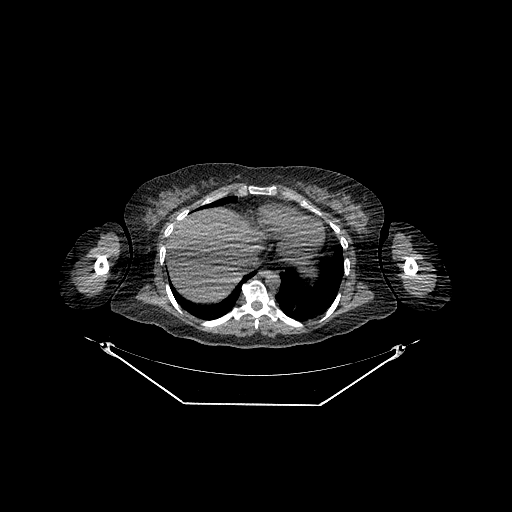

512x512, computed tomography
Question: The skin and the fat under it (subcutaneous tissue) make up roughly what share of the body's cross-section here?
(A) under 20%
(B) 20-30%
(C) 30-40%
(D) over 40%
Answer: (D) over 40%
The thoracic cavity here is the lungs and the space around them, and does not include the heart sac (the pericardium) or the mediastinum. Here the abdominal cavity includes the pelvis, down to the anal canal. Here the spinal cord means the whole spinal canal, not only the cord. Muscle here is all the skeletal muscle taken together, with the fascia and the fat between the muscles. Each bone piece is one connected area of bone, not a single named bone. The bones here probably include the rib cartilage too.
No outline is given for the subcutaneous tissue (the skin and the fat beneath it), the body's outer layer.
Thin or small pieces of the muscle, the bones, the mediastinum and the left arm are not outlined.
{"abdominal_cavity":[[[227,204],[245,215],[255,218],[275,247],[267,253],[256,270],[253,269],[244,274],[232,291],[220,301],[208,304],[190,301],[177,291],[169,279],[168,281],[164,265],[167,238],[172,233],[177,222],[185,218],[195,208],[203,209]],[[317,255],[319,256],[320,259],[319,262],[317,264],[317,268],[319,271],[319,277],[316,281],[311,285],[310,284],[304,283],[302,279],[298,275],[296,270],[292,266],[288,265],[282,260],[282,256],[294,257],[298,259],[304,259],[305,258],[313,257]]],"thoracic_cavity":[[[339,244],[343,250],[343,276],[338,291],[330,305],[323,314],[304,321],[298,320],[287,315],[279,307],[274,296],[279,290],[281,282],[279,275],[280,272],[285,267],[292,267],[303,283],[311,286],[320,277],[320,271],[318,268],[320,260],[330,256]],[[253,270],[255,270],[256,273],[251,278],[243,282],[240,286],[240,295],[237,304],[234,305],[229,311],[213,319],[201,319],[183,309],[177,301],[169,283],[169,280],[176,291],[184,299],[190,302],[202,305],[216,304],[227,297],[233,291],[244,275]],[[229,195],[234,195],[237,197],[236,201],[233,203],[227,203],[226,204],[223,204],[222,205],[216,205],[215,206],[212,206],[211,207],[204,207],[203,208],[200,208],[198,207],[202,206],[203,205],[209,204],[214,201],[216,201],[221,198],[223,198]]],"left_arm":[[[393,220],[407,222],[419,229],[430,241],[439,247],[442,253],[442,260],[449,275],[453,291],[451,299],[437,309],[421,311],[409,307],[396,297],[388,284],[389,281],[386,278],[385,279],[381,266],[383,264],[381,252],[383,243],[388,234],[390,223]]],"torso":[[[205,162],[232,162],[254,167],[315,166],[345,174],[369,188],[384,210],[377,255],[384,279],[396,298],[396,310],[344,334],[280,348],[207,345],[176,337],[156,325],[113,312],[109,300],[127,276],[133,254],[123,217],[125,204],[142,183],[155,176]]],"spinal_cord":[[[255,301],[258,301],[259,302],[260,302],[261,303],[261,307],[259,309],[257,309],[256,310],[255,309],[254,309],[252,307],[252,303],[253,302],[254,302]]],"bones":[{"outer":[[253,278],[260,280],[278,307],[287,316],[302,322],[303,327],[292,328],[280,319],[272,321],[263,314],[258,319],[256,329],[254,318],[249,313],[243,314],[238,320],[231,317],[210,330],[200,324],[202,320],[213,320],[229,312],[238,304],[242,284]],"hole":[[255,301],[258,301],[259,302],[260,302],[261,303],[261,307],[259,309],[257,309],[256,310],[255,309],[254,309],[252,307],[252,303],[253,302],[254,302]]},[[241,184],[253,184],[258,186],[275,185],[279,190],[290,189],[296,193],[300,194],[310,204],[317,208],[322,213],[323,218],[306,208],[302,207],[297,202],[289,199],[284,199],[279,195],[247,194],[243,196],[237,196],[235,195],[235,192],[234,191]],[[99,256],[104,256],[105,257],[106,257],[106,258],[107,259],[107,260],[108,261],[108,264],[109,265],[109,270],[108,271],[108,272],[106,274],[103,274],[102,275],[96,275],[95,274],[95,272],[94,271],[94,262],[95,261],[95,260]],[[408,256],[412,256],[414,258],[415,258],[415,260],[416,261],[416,263],[417,264],[417,266],[418,267],[418,270],[416,272],[415,275],[414,275],[413,276],[411,276],[410,277],[408,275],[405,274],[405,272],[404,271],[404,262],[405,261],[406,258]],[[226,187],[228,187],[231,189],[231,191],[228,195],[226,195],[223,197],[221,197],[209,203],[200,205],[200,202],[202,200],[203,200],[206,196],[210,194],[215,193],[218,191],[221,191],[224,188]],[[185,209],[189,209],[190,210],[187,214],[187,215],[186,215],[185,217],[184,217],[179,221],[177,221],[171,233],[166,238],[164,237],[164,231],[166,227],[168,225],[168,224],[171,222],[174,222],[175,221],[175,219],[177,215]],[[326,220],[330,220],[333,223],[336,224],[339,227],[340,229],[340,231],[341,232],[341,234],[346,239],[347,241],[347,248],[346,249],[343,249],[343,248],[340,244],[340,242],[339,241],[339,238],[338,236],[336,235],[336,234],[328,224]],[[338,292],[340,292],[341,293],[341,296],[340,297],[339,302],[336,308],[328,317],[327,317],[324,320],[320,322],[318,322],[318,320],[325,313],[327,309],[331,305],[334,299],[336,297],[336,295]],[[167,282],[168,282],[168,283],[169,284],[170,289],[171,290],[176,301],[182,309],[182,311],[183,312],[182,313],[182,314],[181,313],[180,313],[173,306],[173,305],[171,303],[171,302],[167,295],[167,293],[166,292],[166,290],[165,289],[165,284]],[[161,245],[166,245],[166,248],[165,249],[165,257],[164,258],[164,264],[163,265],[161,265],[160,264],[160,262],[159,261],[159,248],[160,247],[160,246]],[[345,257],[347,257],[349,259],[349,273],[348,274],[348,275],[347,276],[344,276],[344,258]]],"pericardium":[[[268,201],[280,202],[295,206],[299,208],[300,210],[312,214],[320,219],[325,224],[327,234],[326,236],[326,245],[324,249],[316,255],[304,258],[281,255],[276,249],[276,246],[274,242],[270,240],[266,235],[262,225],[256,218],[258,210],[262,205]]],"right_arm":[[[107,221],[117,222],[123,229],[126,236],[129,247],[128,251],[130,255],[130,262],[126,270],[126,276],[113,292],[108,301],[101,306],[93,309],[77,309],[70,307],[63,301],[59,294],[59,266],[77,238],[82,233],[95,226],[101,225]]],"mediastinum":[[[273,248],[275,248],[281,256],[281,260],[289,266],[285,266],[283,269],[279,272],[278,275],[280,279],[280,282],[279,283],[278,290],[272,295],[268,291],[265,284],[260,279],[253,277],[257,273],[257,270],[264,260],[265,257],[268,253],[273,249]],[[247,195],[277,196],[284,200],[293,201],[297,203],[302,208],[304,208],[316,215],[300,209],[299,207],[289,203],[268,200],[260,206],[256,212],[256,216],[254,217],[251,215],[245,214],[229,204],[235,203],[237,201],[238,197],[243,197]],[[317,216],[320,217],[326,223],[327,223],[327,224],[333,231],[335,235],[337,236],[337,238],[339,242],[339,243],[333,249],[332,253],[330,255],[323,257],[321,259],[320,258],[319,254],[325,249],[327,245],[327,236],[328,234],[327,233],[326,224]]],"muscle":[[[235,182],[249,183],[241,183],[234,189],[234,194],[230,194],[232,189],[226,186],[206,195],[197,207],[191,210],[185,208],[179,212],[174,221],[169,222],[163,231],[166,242],[158,248],[158,261],[161,266],[164,266],[167,278],[164,284],[166,295],[180,314],[183,314],[183,310],[186,311],[200,319],[199,324],[210,331],[224,325],[231,318],[238,321],[246,314],[253,318],[253,326],[256,330],[259,327],[259,319],[263,315],[272,322],[280,320],[292,329],[301,329],[304,327],[303,322],[320,316],[317,320],[318,323],[328,318],[340,302],[342,293],[339,288],[342,279],[350,273],[350,259],[347,256],[344,257],[343,253],[348,248],[348,241],[342,234],[340,227],[330,219],[326,219],[326,222],[323,219],[323,213],[306,198],[322,211],[337,218],[351,237],[355,251],[357,279],[373,291],[373,300],[341,314],[310,332],[277,334],[274,337],[257,332],[238,337],[233,334],[218,334],[199,330],[180,321],[158,306],[136,299],[138,290],[148,283],[153,275],[157,238],[168,217],[176,210],[211,191]],{"outer":[[110,231],[114,232],[119,238],[120,246],[118,256],[111,270],[111,275],[105,281],[105,285],[103,289],[99,293],[93,296],[88,296],[81,292],[74,284],[71,276],[72,268],[91,248],[96,245],[100,237],[100,234]],"hole":[[99,256],[104,256],[105,257],[106,257],[106,258],[107,259],[107,260],[108,261],[108,264],[109,265],[109,270],[108,271],[108,272],[106,274],[103,274],[102,275],[96,275],[95,274],[95,272],[94,271],[94,262],[95,261],[95,260]]},{"outer":[[397,232],[402,232],[408,236],[413,247],[425,256],[426,261],[431,262],[433,265],[434,272],[437,276],[436,283],[434,288],[423,296],[415,296],[409,293],[405,289],[402,280],[398,275],[399,270],[396,264],[397,261],[392,252],[392,241]],"hole":[[408,256],[412,256],[414,258],[415,258],[415,260],[416,261],[416,263],[417,264],[417,266],[418,267],[418,270],[416,272],[415,275],[414,275],[413,276],[411,276],[410,277],[408,275],[405,274],[405,272],[404,271],[404,262],[405,261],[406,258]]},[[275,183],[279,183],[280,184],[282,184],[283,185],[285,185],[288,187],[290,187],[291,188],[294,189],[297,192],[298,192],[296,192],[294,190],[293,190],[290,188],[285,188],[284,189],[279,189],[278,188],[278,187],[275,184],[270,184],[274,184]]]}